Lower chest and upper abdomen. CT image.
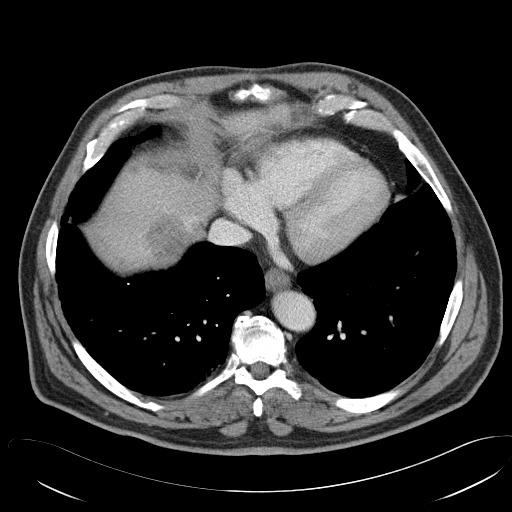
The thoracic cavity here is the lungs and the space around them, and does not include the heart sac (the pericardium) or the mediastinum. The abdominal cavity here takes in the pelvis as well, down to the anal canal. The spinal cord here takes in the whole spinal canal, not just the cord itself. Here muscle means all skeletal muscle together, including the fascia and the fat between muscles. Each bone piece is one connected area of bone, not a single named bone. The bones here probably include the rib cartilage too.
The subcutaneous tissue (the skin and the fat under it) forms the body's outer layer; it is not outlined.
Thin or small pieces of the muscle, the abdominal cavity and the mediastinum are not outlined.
The muscle is outlined by [[295,71],[300,72],[303,71],[338,72],[356,78],[370,86],[391,102],[417,134],[425,148],[435,161],[452,191],[453,197],[458,206],[463,220],[463,225],[466,235],[473,247],[477,266],[481,271],[485,282],[487,294],[487,308],[488,309],[488,328],[486,337],[478,356],[457,378],[442,390],[401,414],[370,425],[350,430],[336,431],[335,432],[324,432],[310,430],[303,427],[296,426],[293,431],[286,435],[276,435],[268,428],[265,423],[261,423],[256,418],[249,423],[246,431],[243,434],[238,436],[224,435],[218,430],[219,428],[217,426],[211,426],[207,428],[166,428],[155,425],[148,425],[145,423],[126,419],[112,412],[108,412],[98,404],[64,384],[51,372],[47,364],[47,361],[38,336],[38,331],[35,320],[35,310],[33,304],[34,298],[33,286],[34,279],[36,275],[36,250],[42,227],[50,214],[51,202],[56,188],[76,149],[78,142],[88,124],[103,108],[113,103],[119,97],[130,90],[146,84],[160,81],[170,81],[190,76],[208,75],[209,74],[223,74],[236,72],[281,73]]; inner edge: [[250,79],[279,81],[316,101],[328,93],[366,101],[426,157],[451,204],[459,309],[442,345],[377,409],[337,407],[332,401],[340,395],[289,358],[281,366],[301,396],[271,387],[260,396],[260,416],[253,413],[255,393],[233,376],[186,400],[193,389],[161,397],[138,392],[164,406],[152,411],[107,389],[72,346],[76,336],[45,244],[52,221],[60,227],[87,143],[112,110],[134,99],[173,94],[186,107]]. The mediastinum appears in 2 outlined pieces: piece 1: [[220,211],[255,234],[265,244],[269,258],[276,265],[297,274],[302,292],[311,298],[316,312],[315,322],[296,342],[294,353],[288,352],[283,331],[269,317],[263,314],[239,314],[265,298],[264,275],[251,251],[237,246],[220,245],[210,239],[206,226]]; piece 2: [[322,118],[337,118],[338,120],[343,122],[346,125],[382,131],[389,134],[393,138],[397,148],[405,157],[404,163],[406,169],[406,185],[396,200],[396,182],[390,175],[390,172],[382,159],[374,151],[354,137],[331,127],[326,127],[316,124],[318,120]]. The bones appear in 7 outlined pieces: piece 1: [[239,315],[263,315],[279,327],[288,358],[288,363],[281,366],[302,390],[301,396],[294,399],[280,387],[267,389],[260,396],[260,416],[253,413],[255,393],[245,384],[236,384],[233,376],[203,395],[184,399],[225,365],[232,350],[233,324]] with a hole at [[259,361],[260,362],[263,362],[269,365],[270,367],[270,369],[271,370],[270,371],[270,373],[266,377],[262,379],[258,379],[257,378],[255,378],[252,375],[251,372],[249,370],[249,367],[250,365],[256,362],[258,362]]; piece 2: [[328,93],[349,95],[366,101],[368,108],[381,112],[396,128],[403,132],[428,160],[449,199],[452,208],[451,215],[448,215],[432,188],[400,151],[394,138],[389,133],[378,129],[346,124],[342,120],[343,110],[325,116],[317,113],[312,108],[313,103]]; piece 3: [[159,94],[177,95],[182,97],[187,103],[181,107],[150,109],[145,116],[138,119],[132,125],[123,130],[110,144],[102,157],[93,166],[81,175],[83,161],[86,155],[86,145],[90,140],[99,134],[102,128],[115,115],[111,111],[134,99],[146,98]]; piece 4: [[75,337],[84,347],[86,351],[117,381],[128,389],[136,392],[137,395],[141,397],[144,401],[153,401],[163,405],[164,408],[157,411],[152,411],[149,409],[146,409],[133,404],[117,396],[107,389],[90,373],[79,359],[72,346],[71,342],[72,339]]; piece 5: [[396,386],[400,386],[403,388],[403,392],[399,396],[396,397],[385,405],[377,409],[365,413],[354,413],[353,412],[350,412],[337,407],[334,405],[332,402],[335,397],[337,397],[340,395],[349,398],[364,398],[365,397],[369,397],[379,394]]; piece 6: [[459,278],[462,280],[462,298],[461,299],[461,303],[459,309],[457,312],[453,324],[449,331],[449,333],[444,342],[441,346],[439,347],[434,347],[434,344],[439,334],[440,325],[445,313],[445,310],[448,303],[449,296],[453,288],[454,282],[455,280]]; piece 7: [[55,219],[58,222],[58,227],[59,229],[58,230],[57,243],[56,244],[56,249],[55,250],[55,276],[53,277],[50,273],[47,264],[47,260],[45,254],[45,244],[46,243],[46,237],[47,236],[48,230],[51,225],[52,221]]. The spinal cord is outlined by [[259,361],[260,362],[263,362],[269,365],[270,367],[270,369],[271,370],[270,371],[270,373],[266,377],[262,379],[258,379],[257,378],[255,378],[252,375],[251,372],[249,370],[249,367],[250,365],[256,362],[258,362]]. The pericardium is outlined by [[292,125],[315,125],[331,128],[354,138],[381,159],[389,175],[395,182],[395,201],[387,207],[377,223],[337,254],[321,263],[302,270],[298,274],[276,264],[270,258],[266,244],[255,233],[221,210],[219,189],[222,168],[237,148],[255,136],[278,127]]. The abdominal cavity is outlined by [[250,79],[302,91],[315,99],[317,114],[331,117],[278,126],[237,147],[221,168],[221,209],[205,226],[211,241],[195,243],[166,270],[115,275],[77,224],[98,207],[132,148],[160,134],[157,124],[138,133],[143,124],[126,129],[156,110],[190,106]]. The torso is outlined by [[299,61],[353,68],[401,90],[427,118],[473,192],[498,252],[503,290],[501,345],[473,397],[449,413],[373,442],[313,454],[241,456],[156,446],[104,430],[40,401],[29,379],[18,259],[38,193],[84,110],[117,86],[163,71],[199,65],[261,67]]. The thoracic cavity appears in 2 outlined pieces: piece 1: [[157,125],[159,134],[131,148],[97,207],[76,224],[91,253],[127,279],[166,271],[192,246],[208,241],[251,252],[264,281],[264,298],[232,324],[222,368],[187,392],[161,397],[128,388],[87,351],[64,314],[56,279],[60,221],[79,178],[119,136]]; piece 2: [[406,158],[431,188],[449,217],[455,242],[456,269],[453,285],[433,346],[411,374],[397,385],[373,395],[341,395],[324,387],[288,357],[288,353],[295,353],[297,342],[313,328],[317,317],[314,302],[303,292],[298,275],[337,255],[378,223],[406,188]].